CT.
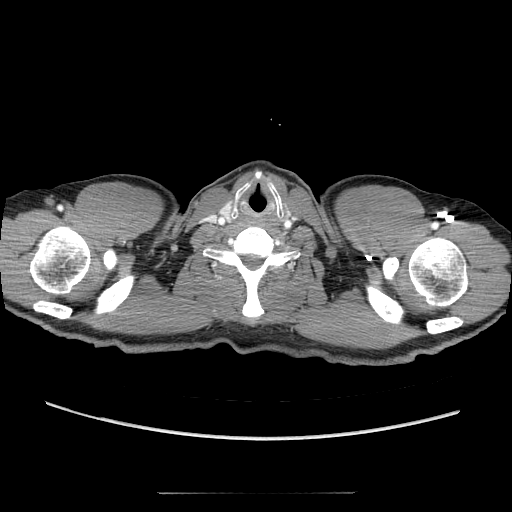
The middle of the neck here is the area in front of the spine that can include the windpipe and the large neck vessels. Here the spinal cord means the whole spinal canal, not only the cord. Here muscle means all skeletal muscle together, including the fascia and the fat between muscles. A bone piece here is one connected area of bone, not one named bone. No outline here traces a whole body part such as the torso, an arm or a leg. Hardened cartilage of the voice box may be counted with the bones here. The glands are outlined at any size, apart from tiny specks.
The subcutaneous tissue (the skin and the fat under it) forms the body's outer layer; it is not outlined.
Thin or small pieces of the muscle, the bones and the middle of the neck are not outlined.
{"middle_of_the_neck":[[[265,175],[271,180],[267,181],[267,185],[274,198],[277,217],[284,218],[291,214],[295,218],[289,227],[285,229],[279,225],[264,223],[215,222],[214,218],[218,213],[229,222],[235,219],[238,216],[239,199],[250,185],[250,178],[254,176],[259,179]]],"thyroid_glands":[[[227,202],[229,202],[229,204],[230,205],[230,209],[229,210],[229,220],[227,220],[226,219],[225,219],[221,215],[220,215],[220,214],[218,212],[218,211],[219,210],[219,209],[224,204],[225,204]],[[283,206],[284,206],[288,210],[289,210],[289,211],[290,212],[290,215],[289,215],[288,216],[284,216],[284,212],[283,211]]],"bones":[{"outer":[[252,224],[262,226],[273,238],[297,248],[301,253],[292,268],[288,261],[268,269],[261,278],[257,294],[264,312],[258,318],[245,317],[241,312],[246,300],[246,287],[236,268],[219,262],[213,267],[214,260],[202,253],[208,244],[221,248],[229,237]],"hole":[[247,254],[248,254],[249,255],[255,255],[256,256],[258,256],[260,258],[264,258],[264,260],[263,261],[262,264],[260,266],[259,266],[256,269],[254,269],[253,270],[252,270],[251,269],[248,268],[242,262],[242,261],[240,258],[240,255],[246,255]]},[[432,237],[442,237],[453,242],[462,252],[466,262],[466,271],[467,272],[467,278],[468,279],[467,288],[465,292],[459,298],[447,306],[434,306],[427,303],[424,296],[418,295],[416,293],[408,272],[408,263],[413,250],[419,244],[426,241],[429,238]],[[62,225],[69,226],[83,237],[90,250],[91,261],[88,270],[84,277],[78,283],[75,284],[72,287],[72,289],[68,293],[62,295],[57,295],[47,292],[42,289],[33,280],[31,274],[29,272],[29,264],[36,249],[36,244],[40,238],[50,229]],[[132,273],[136,275],[136,278],[128,296],[113,311],[111,312],[104,312],[100,314],[95,314],[93,311],[93,309],[95,306],[95,302],[96,301],[95,300],[96,299],[96,297],[99,293],[104,288],[108,287],[111,284],[118,281],[126,275],[131,274]],[[365,284],[371,284],[376,288],[379,289],[382,292],[397,300],[401,304],[405,311],[401,323],[399,324],[395,324],[394,323],[391,323],[385,321],[377,313],[376,313],[367,300],[366,297],[366,291],[364,287]],[[38,300],[46,300],[47,301],[55,301],[56,302],[63,303],[64,304],[66,304],[70,306],[72,308],[72,312],[70,315],[70,317],[67,319],[59,319],[53,316],[48,315],[45,313],[42,313],[41,312],[37,312],[35,311],[33,309],[33,304]],[[445,316],[457,316],[461,318],[463,320],[462,325],[457,328],[455,328],[451,330],[448,330],[447,331],[445,331],[441,333],[438,333],[437,334],[430,334],[428,333],[425,325],[426,321],[428,319],[431,319],[432,318],[438,318],[439,317],[444,317]],[[390,256],[395,256],[398,259],[398,260],[399,261],[399,266],[398,267],[396,272],[394,274],[394,279],[393,280],[393,283],[386,280],[384,278],[384,277],[383,276],[383,273],[382,272],[382,263],[383,262],[383,261],[387,257],[389,257]],[[109,248],[112,248],[115,251],[115,252],[117,255],[117,257],[118,258],[118,260],[117,261],[117,264],[115,266],[115,267],[111,271],[108,271],[107,270],[107,269],[105,267],[105,266],[103,263],[103,254],[106,251],[106,250],[107,250]],[[248,181],[250,181],[249,185],[243,191],[239,197],[237,202],[237,216],[235,218],[233,218],[231,219],[230,221],[229,221],[230,220],[230,210],[231,209],[230,202],[232,202],[234,200],[235,193],[237,189],[244,183]],[[268,181],[271,181],[274,184],[276,189],[279,193],[279,195],[280,196],[281,201],[283,204],[283,205],[282,206],[282,211],[283,212],[283,216],[284,217],[278,217],[278,216],[277,215],[277,206],[276,205],[275,198],[270,189],[270,187],[268,185]]],"spinal_cord":[[[247,254],[248,254],[249,255],[255,255],[256,256],[258,256],[260,258],[264,258],[264,260],[263,261],[262,264],[260,266],[259,266],[256,269],[254,269],[253,270],[252,270],[251,269],[248,268],[242,262],[242,261],[240,258],[240,255],[246,255]]],"muscle":[{"outer":[[258,166],[302,187],[321,208],[332,296],[366,258],[348,246],[335,219],[333,202],[347,187],[410,191],[433,231],[451,220],[484,225],[511,254],[505,299],[485,318],[462,326],[457,315],[432,317],[427,335],[387,349],[352,349],[281,324],[101,332],[69,321],[66,303],[38,299],[28,308],[3,297],[2,216],[42,207],[49,195],[73,203],[92,183],[147,187],[164,208],[136,239],[134,270],[167,283],[193,203]],"holes":[[[256,169],[271,180],[295,218],[286,229],[260,225],[301,254],[292,268],[288,261],[267,270],[257,290],[264,312],[248,318],[241,312],[246,300],[241,275],[232,265],[213,267],[214,260],[202,251],[208,244],[221,248],[248,225],[217,224],[214,218]],[[432,237],[442,237],[453,242],[462,252],[466,262],[466,271],[467,272],[467,278],[468,279],[467,288],[465,292],[459,298],[447,306],[434,306],[427,303],[424,296],[418,295],[416,293],[408,272],[408,263],[413,250],[419,244],[426,241],[429,238]],[[62,225],[69,226],[83,237],[90,250],[91,261],[88,270],[84,277],[78,283],[75,284],[72,287],[72,289],[68,293],[62,295],[57,295],[47,292],[42,289],[33,280],[31,274],[29,272],[29,264],[36,249],[36,244],[40,238],[50,229]],[[132,273],[136,275],[136,278],[128,296],[113,311],[111,312],[104,312],[100,314],[95,314],[93,311],[93,309],[95,306],[95,302],[96,301],[95,300],[96,299],[96,297],[99,293],[104,288],[108,287],[111,284],[118,281],[126,275],[131,274]],[[365,284],[371,284],[376,288],[379,289],[382,292],[397,300],[401,304],[405,311],[401,323],[399,324],[395,324],[394,323],[391,323],[385,321],[377,313],[376,313],[367,300],[366,297],[366,291],[364,287]],[[390,256],[395,256],[398,259],[398,260],[399,261],[399,266],[398,267],[396,272],[394,274],[394,279],[393,280],[393,283],[386,280],[384,278],[384,277],[383,276],[383,273],[382,272],[382,263],[383,262],[383,261],[387,257],[389,257]],[[109,248],[112,248],[115,251],[115,252],[117,255],[117,257],[118,258],[118,260],[117,261],[117,264],[115,266],[115,267],[111,271],[108,271],[107,270],[107,269],[105,267],[105,266],[103,263],[103,254],[106,251],[106,250],[107,250]]]}]}